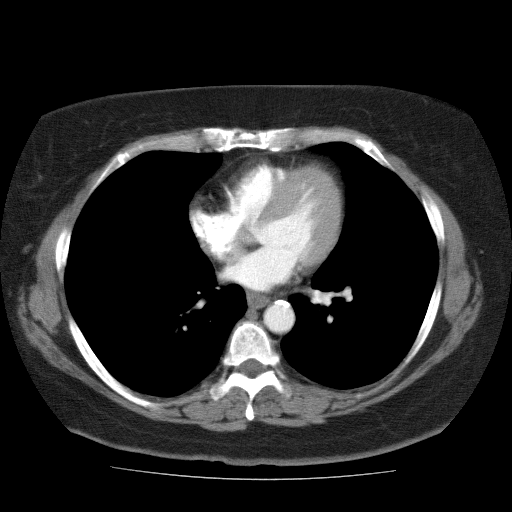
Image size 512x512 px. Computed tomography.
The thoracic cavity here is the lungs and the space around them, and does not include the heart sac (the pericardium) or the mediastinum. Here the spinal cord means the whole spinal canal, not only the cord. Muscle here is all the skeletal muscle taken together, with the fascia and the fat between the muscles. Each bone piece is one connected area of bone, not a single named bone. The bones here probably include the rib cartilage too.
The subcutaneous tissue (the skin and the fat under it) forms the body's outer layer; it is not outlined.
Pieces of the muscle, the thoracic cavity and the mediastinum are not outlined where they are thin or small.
Outlined structures:
spinal cord: [[249,359],[254,359],[255,360],[256,360],[258,362],[259,362],[263,366],[263,370],[260,373],[259,373],[257,375],[256,375],[253,377],[250,377],[249,376],[248,376],[247,375],[244,374],[239,370],[239,368],[240,367],[241,364],[246,360],[248,360]]
bones 1: [[203,127],[239,127],[253,133],[258,130],[283,127],[319,128],[354,133],[371,140],[396,172],[380,164],[359,147],[340,140],[284,151],[255,147],[200,152],[152,149],[129,159],[108,175],[88,197],[89,190],[117,153],[136,142],[199,132]]
bones 2: [[245,320],[257,323],[268,334],[280,354],[291,387],[291,395],[287,397],[271,385],[264,386],[252,401],[254,418],[251,421],[245,416],[249,397],[244,389],[233,386],[218,400],[213,400],[200,387],[204,381],[210,384],[217,379],[230,334],[236,324]] with a hole at [[249,359],[254,359],[255,360],[256,360],[258,362],[259,362],[263,366],[263,370],[260,373],[259,373],[257,375],[256,375],[253,377],[250,377],[249,376],[248,376],[247,375],[244,374],[239,370],[239,368],[240,367],[241,364],[246,360],[248,360]]
bones 3: [[70,314],[77,324],[92,351],[103,366],[114,378],[123,385],[128,387],[133,391],[137,392],[142,397],[155,402],[160,402],[162,403],[162,405],[157,408],[144,407],[125,398],[109,387],[88,365],[79,351],[72,337],[68,325],[68,316]]
bones 4: [[437,279],[438,279],[441,283],[441,296],[440,297],[440,301],[439,302],[438,309],[437,310],[434,321],[432,324],[432,326],[425,340],[416,354],[396,375],[395,375],[391,379],[388,380],[392,374],[392,371],[405,357],[416,338],[418,331],[424,319]]
bones 5: [[422,190],[425,190],[430,195],[439,208],[441,214],[441,217],[442,218],[442,221],[443,222],[443,232],[445,238],[444,239],[444,244],[441,247],[439,247],[437,245],[437,242],[436,241],[436,238],[434,232],[431,227],[427,214],[421,202],[421,191]]
bones 6: [[65,226],[70,227],[72,230],[71,231],[71,235],[69,241],[67,260],[66,261],[66,264],[63,273],[63,280],[61,281],[59,278],[56,269],[56,262],[55,261],[55,247],[56,246],[57,238],[62,228]]
mediastinum 1: [[310,278],[310,287],[308,289],[294,292],[287,297],[295,314],[295,322],[290,331],[281,339],[279,351],[273,346],[272,339],[266,330],[257,322],[245,319],[236,323],[244,315],[247,309],[246,295],[242,287],[258,293],[277,294],[296,288],[304,284]]
mediastinum 2: [[234,148],[255,148],[256,149],[269,150],[270,151],[260,151],[259,152],[257,151],[252,151],[251,152],[246,152],[226,161],[217,173],[194,195],[195,192],[220,166],[222,161],[222,156],[219,152],[217,152],[225,152],[226,151],[229,151]]
mediastinum 3: [[308,146],[310,146],[309,147],[311,150],[318,153],[325,154],[332,158],[340,166],[343,179],[342,175],[340,172],[340,170],[338,167],[330,160],[323,156],[320,156],[315,154],[298,153],[297,152],[284,152],[291,149],[299,149],[300,148],[307,147]]
mediastinum 4: [[214,268],[220,274],[221,274],[225,278],[226,278],[229,281],[230,281],[233,283],[235,283],[227,283],[226,284],[220,284],[219,283],[219,282],[218,281],[218,279],[217,278],[217,277],[215,274],[215,270],[214,269]]
torso: [[261,83],[381,84],[440,98],[463,108],[470,116],[496,168],[511,239],[506,307],[479,380],[436,435],[349,461],[298,466],[228,465],[116,449],[73,433],[34,383],[16,345],[4,303],[0,272],[4,208],[15,168],[33,129],[45,112],[93,96]]
pericardium: [[252,152],[283,152],[323,157],[337,167],[343,180],[345,189],[345,213],[341,231],[333,249],[311,277],[304,283],[277,293],[263,293],[251,290],[229,280],[220,273],[213,266],[200,247],[189,219],[189,206],[194,196],[218,173],[224,164],[238,156]]
thoracic cavity 1: [[152,150],[220,154],[219,166],[194,192],[188,204],[188,219],[199,247],[213,267],[218,283],[238,284],[246,302],[243,315],[229,334],[220,364],[193,387],[167,397],[135,391],[109,372],[73,317],[64,283],[72,231],[86,201],[113,172],[132,158]]
thoracic cavity 2: [[337,141],[359,148],[399,176],[420,201],[438,250],[435,284],[406,354],[378,380],[347,389],[328,387],[306,378],[283,364],[279,352],[282,339],[296,322],[288,297],[311,287],[312,276],[334,249],[342,231],[347,185],[341,166],[329,155],[310,147]]
muscle 1: [[308,125],[344,126],[369,135],[401,158],[443,199],[476,262],[483,302],[461,343],[405,388],[363,410],[330,417],[324,423],[294,427],[252,421],[253,401],[264,387],[271,386],[287,398],[292,395],[284,365],[322,386],[347,390],[371,384],[391,372],[387,379],[391,380],[417,354],[439,309],[442,283],[437,278],[438,247],[445,244],[446,238],[440,208],[431,195],[422,189],[420,200],[371,139],[338,129],[287,126]]
muscle 2: [[198,126],[205,126],[199,131],[136,141],[124,150],[117,152],[111,158],[88,190],[72,229],[61,228],[54,247],[55,269],[64,284],[71,337],[87,365],[109,388],[139,406],[157,409],[162,402],[139,393],[167,398],[200,383],[199,387],[218,401],[238,387],[247,394],[244,416],[251,422],[243,430],[214,431],[197,424],[154,420],[119,405],[49,363],[28,342],[16,314],[19,287],[34,280],[33,254],[43,234],[88,175],[124,145],[140,137]]
muscle 3: [[220,365],[221,366],[221,367],[220,368],[220,370],[219,371],[219,373],[218,374],[218,375],[217,376],[216,379],[214,381],[213,381],[212,382],[209,383],[206,380],[204,380],[206,378],[207,378],[217,368],[217,367],[218,366],[219,366]]